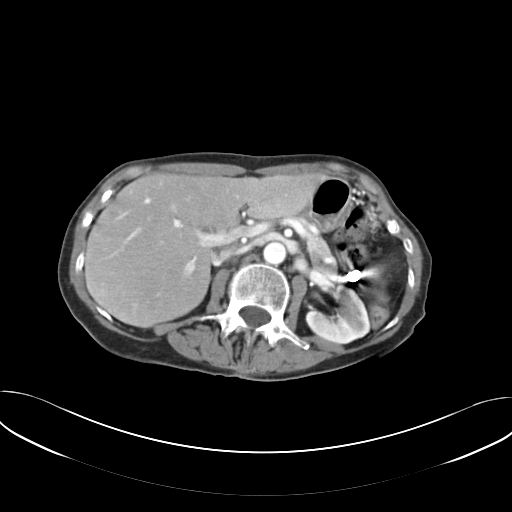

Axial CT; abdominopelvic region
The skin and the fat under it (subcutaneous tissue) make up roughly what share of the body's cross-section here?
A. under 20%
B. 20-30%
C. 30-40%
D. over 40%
A. under 20%
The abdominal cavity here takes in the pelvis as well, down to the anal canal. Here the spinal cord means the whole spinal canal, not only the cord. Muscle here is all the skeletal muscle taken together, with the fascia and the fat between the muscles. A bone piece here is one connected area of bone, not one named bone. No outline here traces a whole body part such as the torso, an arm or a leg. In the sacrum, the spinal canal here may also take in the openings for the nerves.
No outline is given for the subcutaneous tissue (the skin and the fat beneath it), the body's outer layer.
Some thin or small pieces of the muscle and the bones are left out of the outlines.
{"spinal_cord":[[[247,306],[254,306],[255,307],[257,307],[258,308],[260,308],[261,309],[263,309],[265,310],[269,314],[270,316],[270,318],[269,320],[267,322],[265,323],[263,323],[254,328],[251,328],[247,324],[245,320],[240,315],[239,313],[241,309]]],"muscle":[{"outer":[[315,161],[335,161],[343,163],[346,165],[354,167],[370,176],[381,187],[391,207],[413,233],[420,246],[423,259],[422,260],[422,273],[421,274],[421,283],[420,284],[419,295],[415,299],[414,304],[411,309],[403,318],[402,324],[398,330],[390,337],[378,343],[350,353],[346,353],[339,356],[326,359],[311,367],[305,369],[301,369],[291,372],[278,373],[277,374],[273,373],[271,374],[264,374],[263,375],[259,374],[243,374],[232,369],[219,368],[212,366],[207,363],[204,363],[201,361],[196,361],[189,359],[176,352],[166,341],[161,341],[160,342],[142,342],[126,337],[106,328],[94,317],[90,310],[78,297],[73,286],[69,281],[68,270],[69,269],[69,262],[70,261],[70,256],[73,245],[73,233],[74,232],[74,227],[77,219],[79,217],[79,215],[103,183],[119,170],[127,166],[134,164],[141,164],[142,163],[153,163],[155,164],[156,163],[166,163],[167,162],[213,162],[214,163],[233,164],[248,169],[256,169],[267,166],[280,165],[287,163],[300,163],[301,162],[314,162]],"hole":[[160,171],[359,182],[413,246],[405,256],[414,285],[405,284],[396,323],[345,344],[300,335],[304,349],[287,338],[272,347],[261,334],[248,344],[244,331],[224,338],[201,314],[153,329],[109,320],[75,271],[86,247],[82,219],[107,203],[108,187]]},[[296,274],[300,274],[302,275],[307,280],[308,287],[307,288],[307,291],[305,294],[305,297],[303,299],[303,301],[301,303],[299,309],[298,319],[297,320],[297,324],[296,325],[295,332],[285,323],[284,316],[291,295],[290,281],[292,277]],[[222,268],[226,268],[230,270],[230,274],[229,275],[229,281],[227,284],[227,298],[228,299],[227,305],[225,309],[220,312],[216,312],[215,313],[208,313],[207,314],[203,314],[204,314],[205,313],[206,311],[206,306],[210,298],[211,286],[212,285],[212,281],[214,278],[214,276],[216,274],[216,273]]],"abdominal_cavity":[[[160,171],[228,176],[321,173],[359,182],[405,252],[406,283],[395,314],[345,344],[299,335],[308,280],[296,273],[289,282],[278,267],[253,261],[240,265],[230,278],[229,268],[215,273],[202,314],[153,329],[122,325],[86,289],[86,234],[124,181]]],"bones":[{"outer":[[253,262],[276,267],[285,275],[290,295],[283,320],[309,344],[307,349],[287,338],[280,338],[272,347],[261,334],[252,337],[248,344],[244,331],[233,331],[224,338],[216,320],[198,319],[202,315],[220,313],[226,309],[228,284],[233,273],[240,266]],"hole":[[247,306],[254,306],[255,307],[257,307],[258,308],[260,308],[261,309],[263,309],[265,310],[269,314],[270,316],[270,318],[269,320],[267,322],[265,323],[263,323],[254,328],[251,328],[247,324],[245,320],[240,315],[239,313],[241,309]]},[[388,219],[394,219],[398,223],[398,224],[399,225],[399,226],[400,227],[400,231],[399,232],[399,233],[398,233],[397,234],[392,234],[391,233],[390,233],[390,232],[387,229],[387,226],[386,225],[386,221]],[[89,210],[90,211],[91,211],[94,214],[94,216],[93,217],[93,218],[92,219],[91,222],[87,227],[82,227],[82,226],[81,225],[81,222],[82,221],[82,219],[83,218],[83,217],[84,216],[85,213],[87,211],[88,211]],[[110,186],[113,189],[114,189],[114,191],[113,192],[113,193],[109,197],[109,198],[104,203],[102,203],[101,202],[101,201],[100,200],[100,199],[101,198],[101,196],[102,195],[102,194],[103,193],[103,192],[108,187],[109,187]],[[396,315],[397,315],[398,316],[398,319],[397,320],[397,321],[396,322],[396,323],[395,323],[392,326],[391,326],[389,328],[388,328],[385,330],[383,330],[383,327],[390,320],[391,320],[392,319],[392,318],[393,318],[394,317],[394,316],[395,316]],[[97,306],[99,306],[102,309],[103,309],[106,312],[107,312],[107,313],[108,314],[109,314],[113,319],[112,320],[112,321],[111,321],[110,320],[109,320],[106,317],[105,317],[103,315],[102,315],[97,310],[97,309],[96,308],[96,307]]]}